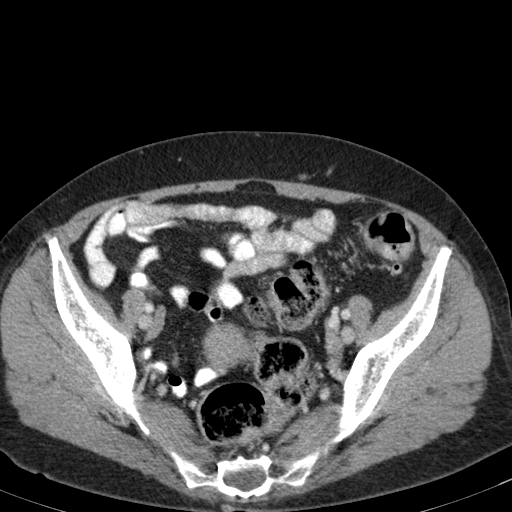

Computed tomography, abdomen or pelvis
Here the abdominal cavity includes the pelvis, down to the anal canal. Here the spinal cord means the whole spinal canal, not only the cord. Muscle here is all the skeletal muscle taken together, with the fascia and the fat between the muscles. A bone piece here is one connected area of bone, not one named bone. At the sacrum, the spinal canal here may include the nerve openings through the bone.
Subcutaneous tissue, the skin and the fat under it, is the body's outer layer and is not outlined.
abdominal cavity: [[248,182],[290,198],[393,208],[416,226],[424,259],[407,295],[375,319],[367,296],[348,298],[357,351],[340,403],[297,418],[270,454],[225,457],[170,401],[134,398],[131,346],[146,296],[127,289],[117,314],[86,283],[70,246],[122,200],[226,192]]
muscle 1: [[251,176],[277,180],[280,179],[287,181],[301,182],[305,184],[311,184],[327,188],[362,193],[386,199],[408,208],[425,217],[433,223],[448,238],[456,243],[460,251],[470,263],[477,280],[480,284],[485,301],[487,304],[487,307],[489,310],[489,315],[491,318],[491,326],[492,327],[493,338],[492,339],[491,361],[488,373],[488,390],[482,403],[475,413],[475,415],[468,420],[460,429],[452,432],[444,433],[420,448],[397,456],[394,456],[379,463],[376,463],[368,468],[350,476],[347,476],[337,481],[331,482],[309,492],[266,503],[228,502],[222,500],[213,500],[207,498],[202,498],[190,494],[181,493],[152,477],[148,477],[144,475],[138,470],[130,468],[109,458],[79,447],[72,443],[50,436],[39,430],[24,425],[20,422],[15,415],[14,410],[8,400],[8,396],[6,394],[4,388],[4,364],[0,350],[0,304],[3,295],[3,291],[9,281],[12,271],[22,261],[30,243],[44,229],[59,225],[66,221],[80,209],[102,200],[125,194],[136,193],[170,185],[178,185],[207,180],[239,179]] with a hole at [[248,182],[416,226],[407,295],[373,320],[347,300],[356,350],[452,253],[372,416],[302,485],[243,501],[186,485],[168,450],[225,457],[170,401],[136,401],[149,435],[113,403],[60,317],[44,236],[131,346],[146,296],[117,314],[70,246],[122,200]]
muscle 2: [[337,403],[340,404],[339,405],[340,407],[339,423],[335,433],[323,445],[316,446],[304,455],[292,460],[281,459],[278,457],[275,457],[274,458],[271,456],[271,453],[278,440],[297,419],[302,417],[319,406],[327,405],[328,404],[336,404]]
spinal cord: [[235,472],[257,472],[258,473],[261,473],[263,474],[263,480],[259,485],[253,488],[251,488],[248,490],[243,490],[242,489],[240,489],[236,486],[234,486],[233,485],[229,485],[227,484],[224,480],[224,476],[225,475],[229,474],[230,473],[234,473]]
torso: [[214,130],[300,131],[347,139],[411,165],[439,184],[456,201],[492,252],[508,290],[511,306],[511,446],[453,474],[425,484],[349,503],[295,511],[188,511],[120,500],[29,472],[14,464],[0,451],[0,239],[16,221],[44,198],[96,163],[150,142]]
bones 1: [[441,245],[449,246],[452,253],[431,329],[395,369],[372,416],[322,453],[302,485],[273,483],[268,492],[246,501],[213,486],[186,485],[167,452],[170,449],[192,461],[239,454],[292,461],[323,446],[338,429],[342,384],[358,350],[390,330],[406,313]]; inner edge: [[235,472],[257,472],[258,473],[261,473],[263,474],[263,480],[259,485],[253,488],[251,488],[248,490],[243,490],[242,489],[240,489],[236,486],[234,486],[233,485],[229,485],[227,484],[224,480],[224,476],[225,475],[229,474],[230,473],[234,473]]
bones 2: [[46,234],[55,235],[57,237],[60,249],[71,272],[89,303],[118,331],[127,336],[137,372],[137,381],[133,398],[138,405],[137,407],[143,421],[150,430],[149,435],[145,434],[133,419],[113,403],[88,357],[62,321],[55,303],[51,259],[44,236]]